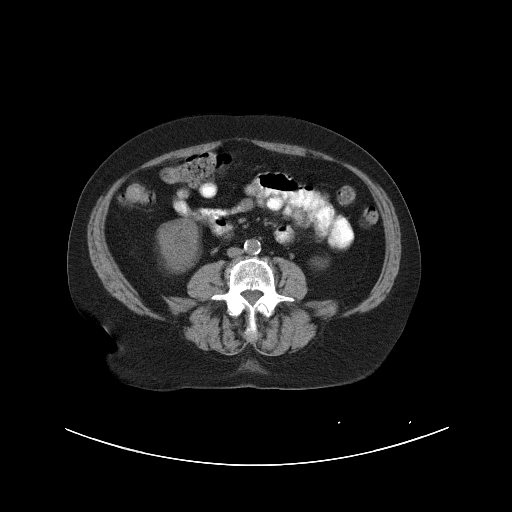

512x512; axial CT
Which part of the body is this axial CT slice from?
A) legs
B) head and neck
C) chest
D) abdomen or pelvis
Answer: D) abdomen or pelvis
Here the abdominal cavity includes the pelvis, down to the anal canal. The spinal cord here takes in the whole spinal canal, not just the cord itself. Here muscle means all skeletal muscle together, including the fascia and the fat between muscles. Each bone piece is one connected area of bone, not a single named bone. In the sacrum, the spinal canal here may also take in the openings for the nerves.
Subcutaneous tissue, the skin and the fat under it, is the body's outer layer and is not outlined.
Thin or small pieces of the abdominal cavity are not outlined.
The abdominal cavity is outlined by 235,142 329,161 367,186 382,221 384,257 360,302 341,310 331,298 302,301 308,292 304,272 277,256 270,262 267,256 245,256 203,264 187,281 187,296 162,296 167,313 143,301 106,240 114,194 144,169. The bones are outlined by 245,257 267,257 274,270 276,291 294,299 279,302 269,317 257,312 256,332 248,335 245,334 249,322 246,310 237,316 231,316 227,312 224,300 211,299 214,294 225,293 228,290 227,279 224,276 228,264; inner edge: 246,290 251,290 252,291 254,291 255,290 256,290 257,291 259,291 261,293 261,295 255,301 255,302 254,303 253,303 252,304 251,303 250,303 242,295 242,293 244,291 245,291. The torso is outlined by 213,112 277,114 319,124 364,148 398,186 419,241 421,282 400,337 381,369 368,380 300,390 151,391 123,384 104,369 102,354 114,347 114,340 78,313 67,280 68,237 81,191 98,166 138,133 174,118. The muscle is outlined by 232,137 246,137 247,138 269,141 270,142 282,142 283,143 288,143 289,144 295,144 300,146 304,146 308,148 311,148 323,152 328,155 340,159 358,168 360,170 364,171 375,179 385,191 392,202 392,204 395,210 395,213 399,222 400,232 401,233 401,257 400,258 400,265 399,266 398,273 394,280 394,283 385,299 383,300 379,305 366,312 358,313 352,316 348,316 347,317 333,320 309,343 304,347 293,353 290,353 285,355 269,356 257,352 251,345 248,345 239,353 228,357 206,355 196,349 184,337 169,326 156,322 135,313 119,300 112,296 106,290 101,282 101,280 97,275 97,273 95,271 89,257 88,245 87,244 87,224 90,217 91,211 95,205 97,199 106,189 120,176 142,162 146,160 147,161 165,152 168,152 171,150 174,150 191,145 195,145 200,143 204,143 205,142 209,142 220,139 231,138; inner edge: 235,142 329,161 367,186 382,221 384,257 378,278 360,302 341,310 331,298 302,301 308,292 304,272 295,262 277,256 269,263 276,291 294,300 279,302 269,317 257,312 255,334 245,334 246,310 231,316 224,300 211,299 228,290 224,277 228,264 223,259 205,263 192,274 187,296 163,295 167,313 143,301 106,240 106,217 114,194 144,169. The spinal cord is outlined by 246,290 251,290 252,291 254,291 255,290 256,290 257,291 259,291 261,293 261,295 255,301 255,302 254,303 253,303 252,304 251,303 250,303 242,295 242,293 244,291 245,291.